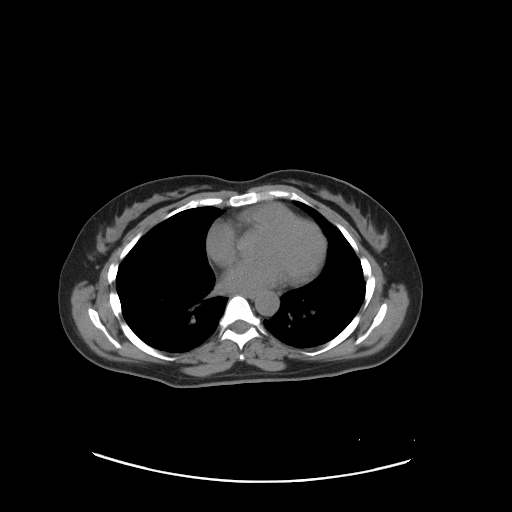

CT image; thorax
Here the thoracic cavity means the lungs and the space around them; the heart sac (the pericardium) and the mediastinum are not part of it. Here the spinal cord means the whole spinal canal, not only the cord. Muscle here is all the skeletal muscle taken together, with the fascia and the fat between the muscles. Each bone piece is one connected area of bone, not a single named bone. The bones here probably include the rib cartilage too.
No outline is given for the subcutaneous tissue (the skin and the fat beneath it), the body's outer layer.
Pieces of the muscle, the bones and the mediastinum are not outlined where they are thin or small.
The torso is outlined by 286 168; 315 171; 355 185; 387 209; 402 228; 421 272; 423 298; 417 325; 409 340; 395 355; 377 366; 330 377; 177 388; 102 368; 75 349; 59 318; 59 273; 77 234; 95 211; 124 190; 157 178; 200 173; 231 180; 245 180. The pericardium is outlined by 268 200; 281 201; 297 206; 311 216; 319 226; 327 240; 325 261; 321 270; 318 275; 311 281; 289 290; 280 291; 279 290; 240 289; 224 285; 216 278; 213 268; 210 265; 207 257; 206 237; 210 226; 212 225; 216 218; 225 213. The bones appear in 10 outlined pieces: piece 1: 235 295; 241 295; 247 300; 253 313; 260 319; 264 328; 268 332; 267 335; 263 335; 262 334; 260 337; 253 337; 251 338; 243 345; 241 350; 240 350; 238 345; 234 341; 230 339; 220 340; 218 337; 219 321; 224 313; 228 299; inner edge: 237 320; 242 320; 243 321; 244 321; 245 322; 246 322; 249 325; 249 326; 248 327; 248 328; 244 332; 242 332; 241 333; 238 333; 237 332; 236 332; 235 331; 234 331; 231 328; 231 325; 235 321; 236 321; piece 2: 272 189; 295 192; 311 203; 314 207; 298 200; 275 197; 272 199; 262 200; 255 203; 240 206; 202 205; 192 207; 179 211; 159 222; 160 219; 167 213; 193 199; 207 197; 221 197; 227 199; 233 195; 252 191; 259 192; piece 3: 112 290; 116 291; 119 298; 121 306; 120 320; 121 321; 125 321; 132 331; 145 343; 168 356; 175 357; 176 358; 174 360; 172 361; 165 360; 148 354; 138 348; 128 339; 121 329; 120 327; 120 321; 115 316; 109 302; 109 294; piece 4: 357 313; 360 314; 360 319; 358 324; 354 330; 345 339; 341 341; 338 344; 326 351; 311 356; 310 355; 303 354; 300 351; 302 350; 305 351; 313 351; 320 348; 323 344; 336 336; 351 321; piece 5: 362 256; 365 257; 369 262; 369 264; 371 268; 371 273; 375 279; 375 286; 373 290; 373 293; 367 306; 364 309; 363 308; 363 304; 364 303; 364 298; 365 297; 365 278; 363 274; 363 270; 362 269; 362 266; 359 258; piece 6: 383 303; 385 303; 387 305; 387 309; 386 310; 386 313; 383 319; 381 321; 381 322; 371 331; 371 332; 366 338; 365 338; 359 343; 357 344; 355 344; 355 341; 357 339; 357 338; 361 336; 368 329; 375 315; 377 313; 380 306; piece 7: 89 308; 92 308; 97 312; 100 321; 103 324; 103 325; 105 327; 108 333; 116 341; 117 341; 120 344; 121 346; 120 348; 118 348; 116 347; 107 338; 107 337; 104 334; 104 333; 99 328; 96 327; 93 324; 88 314; 88 309; piece 8: 335 223; 338 223; 342 225; 348 231; 348 232; 351 235; 351 236; 353 238; 357 245; 357 247; 358 248; 358 251; 357 252; 355 252; 354 249; 351 246; 349 242; 346 239; 346 238; 343 235; 343 234; 340 231; 340 230; 334 224; piece 9: 141 231; 143 234; 139 238; 139 239; 134 244; 134 245; 131 248; 131 249; 126 254; 126 255; 121 260; 120 260; 119 259; 119 256; 120 255; 120 254; 121 253; 123 248; 126 245; 126 244; 127 244; 139 232; 140 232; piece 10: 112 262; 117 262; 118 263; 118 268; 117 269; 117 273; 116 274; 116 276; 115 277; 115 280; 112 283; 111 283; 110 284; 108 282; 108 280; 107 279; 107 273; 108 272; 108 270; 109 269; 109 266; 110 265; 110 264. The muscle is outlined by 266 184; 284 184; 285 185; 289 185; 295 187; 307 195; 328 206; 331 209; 338 213; 345 219; 356 231; 369 252; 380 266; 384 277; 387 280; 391 282; 402 283; 405 285; 408 292; 409 304; 402 324; 386 346; 379 351; 367 356; 349 358; 348 359; 337 359; 336 360; 330 360; 329 361; 296 361; 284 369; 276 370; 275 371; 264 370; 254 365; 248 364; 244 361; 239 361; 236 362; 227 370; 216 372; 203 377; 189 375; 180 372; 176 369; 175 367; 169 365; 148 363; 147 362; 137 363; 136 362; 110 360; 96 354; 90 349; 80 336; 72 317; 72 314; 71 313; 71 302; 70 301; 71 292; 73 289; 73 287; 78 282; 83 280; 86 280; 90 283; 91 282; 94 282; 97 279; 103 268; 103 266; 109 258; 111 253; 115 249; 117 245; 128 231; 133 228; 145 217; 157 209; 179 201; 192 194; 195 194; 199 192; 220 191; 221 190; 232 190; 237 192; 242 192; 243 191; 246 191; 251 187; 255 187; 256 186; 265 185, around holes outlined by 272 189; 295 192; 311 203; 329 222; 342 225; 357 245; 358 251; 355 253; 357 257; 363 256; 369 262; 375 286; 367 306; 364 309; 362 303; 357 312; 360 314; 360 319; 354 330; 335 346; 311 356; 300 351; 313 351; 320 348; 322 344; 296 347; 281 341; 269 332; 267 335; 262 334; 260 337; 251 338; 240 350; 234 341; 220 340; 216 331; 201 344; 187 351; 163 351; 164 354; 176 358; 172 361; 148 354; 131 342; 121 329; 120 321; 109 302; 109 294; 116 289; 116 284; 114 281; 110 284; 107 279; 110 264; 121 262; 119 256; 126 244; 139 232; 145 234; 167 213; 193 199; 207 197; 227 199; 233 195 and by 383 303; 385 303; 387 305; 387 309; 386 310; 386 313; 383 319; 381 321; 381 322; 371 331; 371 332; 366 338; 365 338; 359 343; 357 344; 355 344; 355 341; 357 339; 357 338; 361 336; 368 329; 375 315; 377 313; 380 306 and by 89 308; 92 308; 97 312; 100 321; 103 324; 103 325; 105 327; 108 333; 116 341; 117 341; 120 344; 121 346; 120 348; 118 348; 116 347; 107 338; 107 337; 104 334; 104 333; 99 328; 96 327; 93 324; 88 314; 88 309. The thoracic cavity appears in 2 outlined pieces: piece 1: 202 206; 214 206; 223 211; 215 218; 207 230; 205 252; 207 261; 214 273; 216 284; 222 290; 227 301; 218 321; 217 331; 205 341; 187 351; 161 351; 141 339; 122 315; 122 306; 115 283; 119 264; 140 238; 156 224; 184 210; piece 2: 293 201; 298 201; 314 208; 339 230; 359 259; 364 278; 364 297; 358 311; 336 335; 322 344; 311 347; 296 347; 281 341; 270 333; 262 322; 269 320; 279 310; 281 296; 283 294; 315 279; 326 261; 328 249; 326 236; 312 216. The mediastinum is outlined by 216 279; 224 286; 240 290; 279 291; 280 292; 281 291; 287 291; 280 296; 280 304; 278 310; 269 319; 265 319; 262 321; 254 313; 250 303; 243 295; 241 294; 235 294; 228 298; 224 294; 224 292; 220 286; 217 284. The spinal cord is outlined by 237 320; 242 320; 243 321; 244 321; 245 322; 246 322; 249 325; 249 326; 248 327; 248 328; 244 332; 242 332; 241 333; 238 333; 237 332; 236 332; 235 331; 234 331; 231 328; 231 325; 235 321; 236 321.